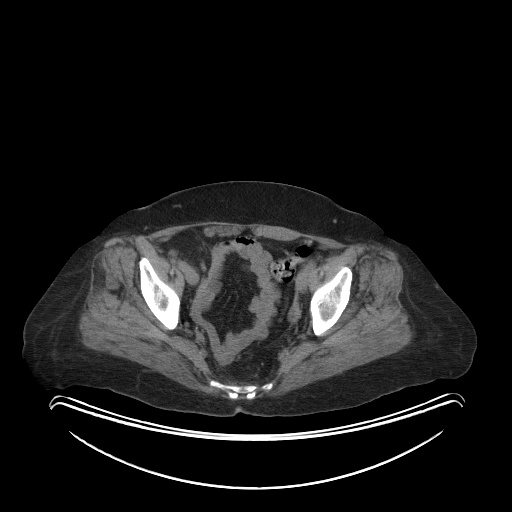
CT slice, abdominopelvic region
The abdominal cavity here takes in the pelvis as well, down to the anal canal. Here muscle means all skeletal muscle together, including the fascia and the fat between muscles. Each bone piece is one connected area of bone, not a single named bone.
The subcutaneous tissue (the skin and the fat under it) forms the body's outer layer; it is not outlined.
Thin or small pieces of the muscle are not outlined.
The muscle is outlined by (197, 221) (278, 225) (347, 244) (379, 244) (391, 249) (403, 270) (399, 298) (414, 333) (410, 343) (394, 353) (282, 395) (253, 399) (258, 389) (273, 388) (271, 381) (265, 382) (274, 375) (286, 352) (306, 335) (310, 320) (317, 337) (338, 321) (350, 300) (353, 271) (342, 265) (311, 293) (310, 271) (337, 251) (304, 236) (276, 239) (249, 228) (211, 235) (194, 226) (157, 243) (157, 253) (183, 276) (180, 298) (159, 277) (146, 256) (137, 262) (139, 290) (152, 314) (168, 330) (174, 330) (180, 320) (215, 376) (247, 383) (227, 384) (210, 379) (210, 386) (232, 400) (240, 395) (251, 400) (230, 400) (193, 390) (137, 362) (86, 347) (80, 341) (78, 323) (90, 286) (92, 262) (104, 242) (114, 236) (148, 234). The torso is outlined by (228, 180) (272, 181) (307, 188) (365, 215) (389, 237) (407, 245) (475, 328) (477, 347) (468, 371) (454, 379) (405, 387) (356, 407) (295, 416) (239, 412) (219, 417) (156, 408) (108, 389) (81, 385) (40, 389) (21, 355) (23, 325) (73, 252) (130, 209) (174, 191). The abdominal cavity is outlined by (194, 227) (211, 236) (233, 235) (249, 229) (258, 236) (276, 240) (304, 237) (337, 252) (309, 271) (310, 319) (305, 335) (285, 352) (273, 375) (263, 383) (237, 382) (215, 375) (201, 348) (182, 325) (180, 306) (184, 276) (174, 263) (158, 253) (158, 243). The bones appear in 3 outlined pieces: piece 1: (342, 266) (347, 266) (349, 267) (352, 271) (352, 280) (350, 287) (349, 300) (337, 321) (331, 327) (326, 330) (323, 334) (317, 336) (314, 334) (312, 329) (311, 315) (310, 314) (310, 300) (311, 299) (311, 296) (314, 291) (319, 286) (326, 281) (330, 280); piece 2: (141, 257) (146, 257) (149, 260) (158, 277) (162, 281) (170, 286) (176, 292) (180, 299) (180, 305) (179, 306) (179, 319) (178, 320) (178, 323) (174, 329) (168, 329) (153, 314) (147, 305) (141, 293) (141, 291) (140, 290) (139, 266) (138, 265) (138, 262); piece 3: (210, 380) (216, 380) (227, 385) (253, 384) (260, 387) (261, 385) (267, 382) (271, 382) (273, 385) (272, 388) (269, 390) (258, 388) (254, 398) (252, 399) (247, 399) (242, 394) (240, 394) (238, 398) (232, 399) (228, 396) (228, 394) (225, 391) (210, 385) (209, 384).